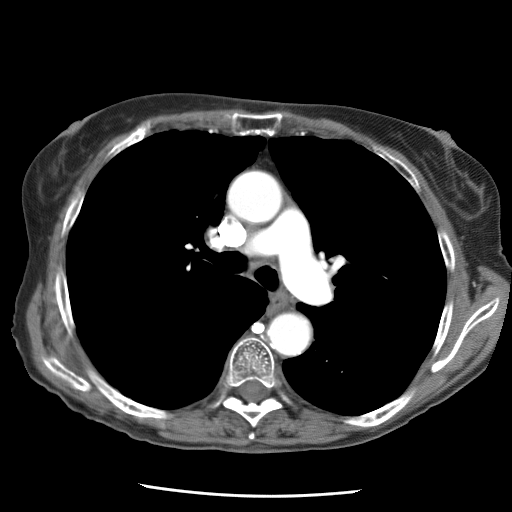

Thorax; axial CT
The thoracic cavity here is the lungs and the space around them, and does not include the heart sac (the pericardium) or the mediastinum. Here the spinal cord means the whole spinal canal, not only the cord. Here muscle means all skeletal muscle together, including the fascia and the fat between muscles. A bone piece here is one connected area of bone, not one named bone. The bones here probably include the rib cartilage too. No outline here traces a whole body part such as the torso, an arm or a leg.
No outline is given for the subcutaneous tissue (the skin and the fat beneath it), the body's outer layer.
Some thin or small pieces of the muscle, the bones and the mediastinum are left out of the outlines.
{"mediastinum":[[[263,136],[271,137],[267,141],[271,159],[309,223],[320,273],[317,284],[296,304],[309,318],[315,339],[303,353],[282,362],[283,378],[270,348],[259,337],[239,339],[263,314],[269,300],[264,288],[235,273],[217,236],[228,186],[255,161],[266,143]]],"spinal_cord":[[[250,380],[256,380],[258,381],[262,384],[262,385],[265,388],[266,390],[266,394],[265,395],[265,397],[258,402],[256,402],[255,401],[247,401],[243,399],[241,397],[239,393],[239,387],[245,382],[247,381],[249,381]]],"bones":[{"outer":[[245,337],[259,338],[269,348],[273,356],[275,371],[283,379],[285,389],[293,400],[293,405],[285,403],[282,408],[266,413],[259,419],[254,428],[234,410],[222,405],[215,408],[209,406],[210,401],[218,391],[220,378],[228,369],[230,351],[236,342]],"hole":[[250,380],[256,380],[258,381],[262,384],[262,385],[265,388],[266,390],[266,394],[265,395],[265,397],[258,402],[256,402],[255,401],[247,401],[243,399],[241,397],[239,393],[239,387],[245,382],[247,381],[249,381]]},[[42,356],[55,357],[65,367],[90,383],[92,382],[86,372],[86,367],[89,367],[126,397],[147,406],[168,410],[172,416],[169,418],[139,417],[126,413],[115,406],[93,383],[87,391],[74,388],[66,380],[54,374],[45,365],[42,360]],[[226,112],[229,113],[234,112],[255,113],[256,114],[267,114],[268,113],[281,112],[282,113],[287,113],[289,114],[289,116],[285,118],[283,127],[276,134],[272,136],[260,135],[259,134],[255,135],[235,135],[229,131],[228,128],[222,121],[222,116]],[[411,388],[415,388],[415,392],[410,400],[399,411],[385,421],[377,425],[364,427],[359,425],[352,425],[351,424],[344,423],[342,421],[342,419],[346,416],[355,416],[356,415],[360,415],[375,410],[383,406],[385,404],[394,400],[400,396],[405,391]],[[496,297],[497,297],[499,299],[499,302],[495,311],[487,318],[483,319],[481,321],[478,322],[465,335],[456,353],[442,368],[435,372],[432,372],[430,370],[431,365],[435,361],[445,357],[451,351],[466,321],[476,310],[477,310],[480,307],[486,304]],[[59,265],[61,265],[65,270],[69,303],[71,308],[71,314],[75,325],[75,331],[73,334],[73,336],[70,336],[67,332],[67,330],[61,317],[61,314],[58,307],[58,304],[55,295],[55,290],[54,289],[55,275],[56,274],[57,268]],[[372,144],[376,144],[379,146],[381,146],[389,153],[395,157],[398,158],[407,165],[407,166],[413,172],[418,181],[418,183],[420,187],[420,191],[418,194],[408,182],[408,181],[393,166],[392,166],[383,158],[372,151],[372,148],[371,147],[371,145]],[[448,298],[452,298],[453,299],[453,309],[451,315],[451,320],[444,341],[436,355],[433,357],[431,348],[437,333],[437,330],[439,326],[439,323],[440,322],[440,319],[443,311],[445,301]],[[147,121],[149,121],[151,125],[151,127],[148,132],[148,134],[141,140],[126,147],[124,149],[120,151],[116,155],[115,155],[109,160],[108,160],[106,156],[107,155],[107,153],[112,148],[112,147],[116,143],[124,139],[136,128],[141,125],[145,124]],[[79,190],[84,190],[85,191],[85,194],[83,198],[83,201],[81,204],[77,217],[72,227],[70,229],[67,236],[63,237],[61,235],[61,232],[62,231],[62,228],[63,227],[63,221],[65,217],[65,214],[66,213],[67,208],[70,203],[71,199]],[[440,227],[443,228],[446,231],[453,247],[453,252],[455,258],[455,263],[454,264],[454,269],[453,271],[449,271],[447,270],[445,266],[443,255],[441,251],[441,248],[440,247],[440,244],[437,235],[437,229]]],"thoracic_cavity":[[[192,128],[215,128],[235,136],[259,135],[265,139],[254,161],[230,180],[216,236],[230,268],[264,289],[268,302],[229,351],[227,369],[217,389],[192,403],[164,409],[123,394],[101,375],[86,353],[72,314],[66,245],[86,192],[108,161],[154,133]],[[301,131],[350,140],[393,167],[418,195],[429,215],[446,269],[445,300],[436,333],[415,375],[400,395],[355,415],[317,407],[284,381],[283,362],[303,354],[316,339],[310,318],[298,309],[297,304],[318,284],[321,273],[310,223],[272,159],[268,141]]],"muscle":[{"outer":[[231,108],[250,112],[226,111],[221,121],[228,130],[170,128],[148,135],[152,125],[147,120],[111,147],[86,191],[79,189],[70,199],[60,232],[67,237],[65,269],[57,266],[53,289],[67,334],[73,337],[76,332],[97,371],[85,367],[90,382],[55,356],[42,355],[54,375],[83,392],[93,384],[115,407],[139,418],[169,419],[169,410],[197,402],[216,389],[208,406],[236,412],[253,429],[269,412],[294,405],[287,386],[311,405],[345,416],[344,424],[364,428],[385,422],[411,400],[416,388],[406,389],[430,350],[433,358],[437,355],[452,320],[454,299],[446,299],[447,271],[453,272],[456,263],[450,237],[443,227],[436,229],[419,196],[419,181],[401,159],[376,143],[370,150],[350,139],[305,130],[278,133],[290,114],[262,113],[272,110],[343,123],[399,151],[421,172],[461,243],[470,278],[484,265],[509,283],[491,356],[383,427],[325,443],[288,445],[167,439],[146,425],[88,407],[42,375],[31,357],[26,309],[38,282],[45,281],[58,214],[86,166],[112,138],[150,116]],"holes":[[[496,297],[497,297],[499,299],[499,302],[495,311],[487,318],[483,319],[481,321],[478,322],[465,335],[456,353],[442,368],[435,372],[432,372],[430,370],[431,365],[435,361],[445,357],[451,351],[466,321],[476,310],[477,310],[480,307],[486,304]],[[251,431],[252,431],[253,431],[254,432],[254,433],[254,434],[254,435],[254,436],[254,437],[254,438],[253,439],[252,439],[251,439],[250,439],[249,438],[248,437],[248,436],[248,435],[248,434],[249,433],[250,432]]]}]}